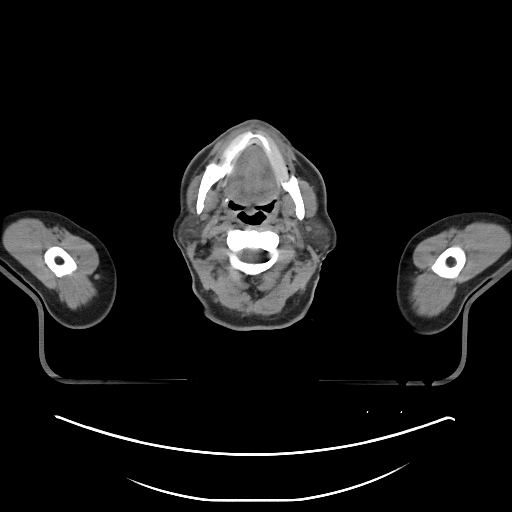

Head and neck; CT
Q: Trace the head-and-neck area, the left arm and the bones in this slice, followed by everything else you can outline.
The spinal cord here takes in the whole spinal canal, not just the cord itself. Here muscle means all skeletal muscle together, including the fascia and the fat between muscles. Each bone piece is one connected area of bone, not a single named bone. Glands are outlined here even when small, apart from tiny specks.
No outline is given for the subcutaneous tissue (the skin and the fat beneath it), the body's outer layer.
A: {"head_and_neck":[{"outer":[[250,118],[262,119],[273,125],[318,169],[325,183],[327,211],[337,234],[335,247],[321,264],[319,279],[307,312],[301,319],[284,329],[234,331],[209,321],[192,290],[190,273],[172,237],[172,227],[179,212],[180,182],[188,163],[199,150],[220,133]],"hole":[[230,202],[238,206],[241,206],[242,208],[241,209],[247,214],[253,214],[258,209],[257,208],[260,206],[265,206],[271,203],[273,204],[271,209],[265,212],[265,217],[262,221],[259,223],[250,224],[240,219],[238,216],[238,212],[230,206],[229,204]]}],"left_arm":[[[467,211],[497,212],[506,215],[510,219],[511,263],[509,263],[500,272],[483,282],[481,286],[469,296],[463,304],[461,313],[447,328],[431,335],[421,335],[415,333],[410,330],[402,321],[395,302],[395,281],[400,256],[407,242],[415,233],[445,216]]],"bones":[[[258,130],[272,139],[288,174],[297,178],[304,203],[304,217],[301,220],[297,217],[290,194],[278,183],[272,165],[258,143],[251,143],[241,151],[231,172],[211,186],[203,209],[198,214],[196,200],[206,165],[211,160],[218,162],[223,150],[235,137]],{"outer":[[248,225],[251,225],[259,231],[263,230],[274,231],[278,234],[280,238],[278,248],[281,251],[279,253],[277,260],[266,270],[254,275],[248,275],[238,269],[231,267],[229,258],[226,253],[226,251],[228,250],[226,243],[226,231],[229,228],[243,229]],"hole":[[243,249],[250,249],[251,250],[253,250],[254,251],[256,251],[257,250],[262,250],[264,252],[264,254],[263,255],[263,258],[260,261],[258,261],[257,262],[246,262],[245,261],[243,261],[239,257],[239,253]]},[[454,245],[457,245],[459,246],[464,251],[465,253],[465,256],[466,257],[465,263],[459,272],[458,275],[456,277],[454,278],[444,278],[443,277],[441,277],[435,273],[431,269],[431,265],[435,261],[437,257],[445,249],[450,246],[453,246]],[[51,246],[59,246],[63,249],[64,249],[73,258],[73,259],[75,261],[76,265],[77,266],[76,269],[74,270],[70,274],[67,274],[61,277],[58,277],[56,276],[55,274],[49,268],[49,267],[46,264],[44,260],[44,253],[45,251],[49,247]]],"right_arm":[[[26,209],[43,209],[60,213],[92,232],[106,246],[113,259],[116,268],[117,291],[115,301],[111,310],[106,317],[96,325],[85,329],[72,329],[58,323],[49,314],[47,309],[39,298],[39,295],[6,264],[0,260],[0,231],[3,217],[10,213]]],"spinal_cord":[[[243,249],[250,249],[251,250],[253,250],[254,251],[256,251],[257,250],[262,250],[264,252],[264,254],[263,255],[263,258],[260,261],[258,261],[257,262],[246,262],[245,261],[243,261],[239,257],[239,253]]],"parotid_glands":[[[315,214],[318,215],[321,218],[321,219],[326,225],[329,231],[329,245],[326,248],[326,249],[320,254],[318,254],[311,245],[309,244],[306,244],[305,243],[305,241],[303,238],[303,236],[300,230],[297,227],[297,222],[298,221],[306,221]],[[188,212],[191,212],[193,213],[200,219],[200,220],[202,222],[202,230],[201,231],[201,235],[199,239],[196,239],[194,240],[185,248],[183,246],[182,243],[180,241],[178,237],[178,228],[182,220],[184,219],[184,218],[186,216]]],"muscle":[{"outer":[[249,124],[271,129],[290,147],[315,186],[316,213],[302,220],[306,209],[298,178],[289,174],[279,148],[260,129],[238,134],[218,161],[211,159],[205,165],[195,212],[203,211],[208,192],[232,172],[241,152],[251,144],[262,148],[277,183],[294,204],[300,220],[296,227],[304,243],[319,255],[299,301],[268,318],[240,317],[215,304],[202,290],[186,250],[200,239],[203,230],[201,219],[187,210],[190,180],[220,140]],"hole":[[230,202],[241,206],[247,214],[253,214],[260,206],[273,204],[265,212],[262,221],[251,225],[259,231],[271,230],[277,233],[281,251],[277,260],[258,274],[248,275],[230,265],[226,253],[226,231],[229,228],[243,229],[250,224],[240,219]]},{"outer":[[481,220],[492,221],[503,225],[511,234],[511,246],[496,262],[482,272],[468,280],[459,289],[453,300],[444,311],[437,316],[429,318],[417,315],[412,310],[411,304],[408,300],[411,259],[414,248],[416,245],[423,239],[437,234],[452,226],[457,226]],"hole":[[454,245],[457,245],[459,246],[464,251],[465,253],[465,256],[466,257],[465,263],[459,272],[458,275],[456,277],[454,278],[444,278],[443,277],[441,277],[435,273],[431,269],[431,265],[435,261],[437,257],[445,249],[450,246],[453,246]]},{"outer":[[26,217],[45,219],[63,226],[76,235],[87,240],[95,247],[99,255],[100,261],[99,262],[101,276],[100,291],[98,296],[87,306],[77,310],[70,310],[64,305],[62,305],[48,288],[5,249],[2,242],[2,237],[6,227],[10,223],[20,218]],"hole":[[51,246],[59,246],[63,249],[64,249],[73,258],[73,259],[75,261],[76,265],[77,266],[76,269],[74,270],[70,274],[67,274],[61,277],[58,277],[56,276],[55,274],[49,268],[49,267],[46,264],[44,260],[44,253],[45,251],[49,247]]}]}